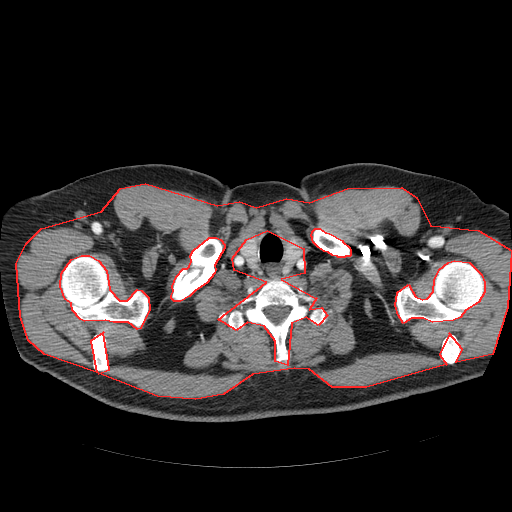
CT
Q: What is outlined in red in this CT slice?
A: red: muscle.
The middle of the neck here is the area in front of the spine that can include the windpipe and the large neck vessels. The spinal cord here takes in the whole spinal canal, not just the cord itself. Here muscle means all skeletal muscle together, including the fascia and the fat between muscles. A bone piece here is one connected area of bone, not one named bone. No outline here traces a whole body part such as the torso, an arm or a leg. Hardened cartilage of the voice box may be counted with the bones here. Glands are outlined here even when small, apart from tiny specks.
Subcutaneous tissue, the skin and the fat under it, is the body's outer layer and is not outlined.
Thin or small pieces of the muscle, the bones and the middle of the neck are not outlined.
{"muscle":[{"outer":[[145,183],[217,205],[239,201],[256,207],[286,198],[309,202],[347,188],[401,187],[416,197],[430,225],[478,230],[511,250],[507,307],[492,354],[456,362],[462,349],[449,333],[439,354],[446,364],[366,387],[332,387],[309,369],[294,368],[252,374],[223,394],[195,399],[157,396],[98,373],[109,369],[103,332],[90,341],[96,372],[44,354],[28,340],[20,316],[16,263],[26,243],[41,228],[101,211],[120,188]],"holes":[[[267,230],[303,248],[304,273],[281,279],[316,298],[309,309],[321,307],[327,315],[318,325],[306,317],[291,323],[287,365],[275,361],[275,341],[264,326],[247,322],[236,330],[218,319],[266,282],[234,270],[232,258],[246,239]],[[81,255],[89,255],[98,260],[106,270],[109,289],[119,300],[127,300],[137,289],[141,290],[148,297],[149,309],[140,328],[137,329],[128,322],[113,322],[105,320],[84,321],[80,319],[72,310],[71,303],[65,299],[60,286],[61,273],[71,259]],[[454,260],[469,262],[481,274],[484,282],[484,292],[478,302],[465,310],[460,317],[453,320],[432,322],[423,318],[411,318],[403,323],[398,315],[395,305],[397,292],[408,284],[415,296],[422,299],[427,298],[433,291],[434,280],[439,269],[448,262]],[[209,237],[216,237],[220,239],[224,244],[224,248],[214,265],[215,269],[214,273],[206,283],[195,290],[189,296],[180,301],[174,301],[171,298],[171,295],[173,291],[172,286],[176,276],[183,268],[187,268],[189,266],[191,261],[190,255],[193,250]],[[315,228],[319,228],[325,232],[329,233],[342,240],[342,241],[349,247],[350,249],[350,255],[349,256],[345,256],[344,257],[338,257],[337,256],[332,255],[328,252],[324,251],[318,247],[313,242],[312,240],[312,237],[311,236],[312,231]]]}],"bones":[[[81,255],[89,255],[98,260],[106,270],[109,289],[119,300],[127,300],[137,289],[141,290],[148,297],[149,309],[140,328],[137,329],[128,322],[113,322],[105,320],[84,321],[80,319],[72,310],[71,303],[65,299],[60,286],[61,273],[71,259]],[[454,260],[469,262],[481,274],[484,282],[484,292],[478,302],[465,310],[460,317],[453,320],[432,322],[423,318],[411,318],[403,323],[398,315],[395,305],[397,292],[408,284],[415,296],[422,299],[427,298],[433,291],[434,280],[439,269],[448,262]],{"outer":[[268,279],[282,280],[298,293],[316,298],[310,310],[326,310],[327,319],[322,324],[315,325],[306,317],[291,323],[285,339],[291,354],[287,365],[275,361],[275,341],[264,326],[247,322],[236,330],[218,319],[221,311],[239,309],[237,302],[255,294]],"hole":[[272,305],[274,305],[275,306],[277,306],[278,305],[281,305],[282,306],[289,306],[290,307],[289,312],[287,314],[287,315],[280,322],[278,323],[275,323],[271,320],[270,320],[267,317],[267,316],[264,312],[264,309],[266,307],[268,306],[271,306]]},[[209,237],[216,237],[220,239],[224,244],[224,248],[214,265],[215,269],[214,273],[206,283],[195,290],[189,296],[180,301],[174,301],[171,298],[171,295],[173,291],[172,286],[176,276],[183,268],[187,268],[189,266],[191,261],[190,255],[193,250]],[[315,228],[319,228],[325,232],[329,233],[342,240],[342,241],[349,247],[350,249],[350,255],[349,256],[345,256],[344,257],[338,257],[337,256],[332,255],[328,252],[324,251],[318,247],[313,242],[312,240],[312,237],[311,236],[312,231]],[[96,333],[103,333],[106,337],[106,340],[107,341],[106,342],[106,357],[107,358],[107,361],[108,362],[108,369],[106,371],[101,371],[100,372],[97,372],[95,371],[93,368],[93,364],[92,363],[92,352],[91,351],[91,341],[92,340],[93,336]],[[449,334],[453,334],[457,338],[459,342],[459,345],[460,346],[460,348],[461,349],[458,358],[456,360],[456,361],[452,364],[447,364],[443,361],[442,361],[440,358],[440,354],[441,353],[441,344],[442,343],[442,341],[443,339],[447,335]]],"spinal_cord":[[[272,305],[274,305],[275,306],[277,306],[278,305],[281,305],[282,306],[289,306],[290,307],[289,312],[287,314],[287,315],[280,322],[278,323],[275,323],[271,320],[270,320],[267,317],[267,316],[264,312],[264,309],[266,307],[268,306],[271,306]]],"thyroid_glands":[[[289,239],[293,239],[295,240],[301,246],[302,248],[302,250],[303,251],[303,253],[301,253],[300,254],[300,257],[295,262],[290,272],[288,273],[283,273],[283,267],[286,261],[285,260],[285,248],[287,244],[289,242]],[[252,237],[254,237],[255,238],[255,241],[257,243],[257,268],[254,270],[252,270],[248,267],[246,259],[244,257],[244,256],[242,255],[240,251],[240,247],[242,245],[242,244],[244,243],[244,241],[246,239],[248,238],[251,238]]],"middle_of_the_neck":[[[267,230],[277,231],[284,238],[288,238],[284,248],[285,261],[282,273],[290,273],[301,254],[304,253],[307,256],[304,273],[281,279],[268,278],[265,281],[260,281],[233,269],[232,258],[236,252],[240,252],[250,270],[254,271],[258,268],[256,236]]]}